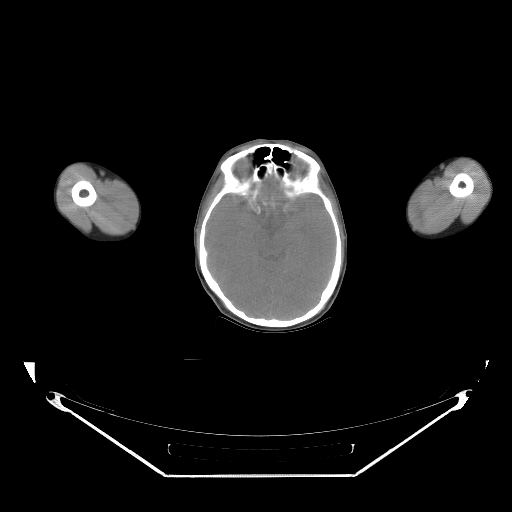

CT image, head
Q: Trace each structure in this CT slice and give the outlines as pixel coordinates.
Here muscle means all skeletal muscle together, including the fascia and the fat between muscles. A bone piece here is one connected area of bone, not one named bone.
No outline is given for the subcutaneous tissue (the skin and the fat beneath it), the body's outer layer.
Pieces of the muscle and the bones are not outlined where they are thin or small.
A: right arm: [[76,160],[90,160],[94,162],[97,162],[121,175],[133,187],[139,198],[141,204],[141,219],[137,229],[130,237],[125,240],[117,242],[97,242],[96,241],[92,241],[84,237],[56,211],[52,199],[52,191],[53,190],[54,182],[60,170],[70,162]]
head: [[256,138],[292,140],[312,149],[321,158],[336,190],[347,231],[347,267],[341,288],[335,301],[330,309],[319,320],[290,331],[258,331],[243,325],[236,320],[228,319],[221,314],[204,291],[194,267],[192,231],[198,205],[207,182],[223,153],[235,145]] with holes at [[276,148],[277,148],[278,149],[279,149],[280,150],[281,150],[284,152],[286,152],[288,155],[288,156],[287,157],[287,158],[285,158],[282,161],[282,162],[281,163],[279,163],[278,162],[277,162],[275,160],[275,158],[274,157],[274,150]] and at [[261,148],[268,148],[268,152],[265,155],[264,155],[262,157],[262,161],[261,162],[260,162],[259,163],[256,163],[256,162],[255,161],[255,158],[256,157],[256,152],[259,149],[260,149]]
bones 1: [[260,143],[285,144],[304,152],[317,161],[320,165],[319,185],[331,203],[341,241],[342,262],[340,274],[329,299],[323,308],[312,317],[284,327],[257,325],[232,313],[206,283],[198,260],[198,242],[202,222],[210,204],[223,185],[221,163],[238,151]] with holes at [[270,177],[279,183],[283,195],[290,200],[309,193],[318,196],[329,216],[335,240],[333,262],[318,300],[304,312],[288,318],[250,315],[235,305],[210,270],[205,245],[207,224],[222,198],[227,194],[241,196],[259,214],[262,209],[256,202],[264,182]] and at [[261,148],[268,148],[268,152],[262,157],[262,161],[261,162],[256,163],[255,164],[251,171],[250,175],[246,177],[239,177],[236,175],[234,172],[234,168],[236,163],[239,160],[244,159],[249,156],[253,156],[255,158],[256,157],[256,152]] and at [[293,158],[296,158],[297,159],[300,159],[302,161],[303,161],[307,165],[307,167],[306,168],[306,171],[303,175],[296,175],[294,177],[292,177],[291,176],[292,173],[288,170],[288,166],[292,163],[292,162],[293,161],[292,160],[293,160],[294,159]] and at [[276,148],[277,148],[278,149],[279,149],[280,150],[281,150],[284,152],[286,152],[288,155],[288,156],[287,157],[287,158],[285,158],[282,161],[282,162],[281,163],[279,163],[278,162],[277,162],[275,160],[275,158],[274,157],[274,150]]
bones 2: [[82,179],[87,180],[89,181],[92,184],[96,192],[96,194],[97,195],[97,197],[95,201],[91,205],[89,206],[86,206],[85,207],[83,207],[82,206],[79,206],[77,205],[73,201],[73,199],[71,196],[71,188],[72,186],[78,180],[81,180]]
bones 3: [[460,172],[465,172],[467,173],[472,178],[473,180],[473,190],[472,192],[467,196],[465,197],[461,197],[460,198],[458,198],[457,197],[455,197],[453,196],[450,193],[449,191],[449,189],[448,188],[454,176],[456,174]]
muscle 1: [[80,163],[86,164],[89,166],[98,167],[104,171],[116,176],[119,180],[122,181],[130,189],[137,202],[138,217],[134,227],[127,233],[117,236],[87,234],[74,224],[59,209],[56,200],[56,192],[60,177],[63,172],[68,167],[74,164],[79,164]], around a hole outlined by [[82,179],[87,180],[89,181],[92,184],[96,192],[96,194],[97,195],[97,197],[95,201],[91,205],[89,206],[86,206],[85,207],[83,207],[82,206],[79,206],[77,205],[73,201],[73,199],[71,196],[71,188],[72,186],[78,180],[81,180]]
muscle 2: [[460,158],[465,158],[476,162],[483,170],[490,186],[490,192],[487,201],[475,217],[470,222],[466,223],[462,226],[449,227],[445,230],[435,234],[424,234],[417,231],[411,224],[408,215],[409,204],[414,193],[419,186],[438,167],[449,161],[453,161]]; inner edge: [[460,172],[465,172],[467,173],[472,178],[473,180],[473,190],[472,192],[467,196],[465,197],[461,197],[460,198],[458,198],[457,197],[455,197],[453,196],[450,193],[449,191],[449,189],[448,188],[454,176],[456,174]]
muscle 3: [[219,168],[220,172],[222,175],[222,185],[213,197],[202,219],[201,225],[200,226],[200,230],[198,235],[197,253],[197,248],[196,247],[196,230],[199,221],[199,217],[206,196],[211,186],[218,176]]
muscle 4: [[321,168],[323,174],[323,178],[330,187],[335,198],[339,212],[340,220],[342,224],[342,229],[344,234],[343,261],[342,241],[340,236],[340,230],[339,229],[339,225],[337,221],[337,218],[333,210],[332,203],[330,199],[325,194],[320,185],[319,174]]
brain: [[270,177],[279,183],[283,195],[290,200],[309,193],[318,196],[329,216],[335,240],[333,262],[318,300],[304,312],[288,318],[250,315],[235,305],[210,270],[205,245],[207,224],[222,198],[227,194],[241,196],[259,214],[262,209],[256,202],[264,182]]
left arm: [[460,154],[472,156],[478,159],[485,166],[493,183],[492,198],[483,213],[481,214],[473,224],[466,229],[451,236],[441,239],[436,240],[422,239],[416,236],[410,230],[406,222],[405,219],[405,206],[407,199],[416,184],[434,166],[442,160],[450,156]]